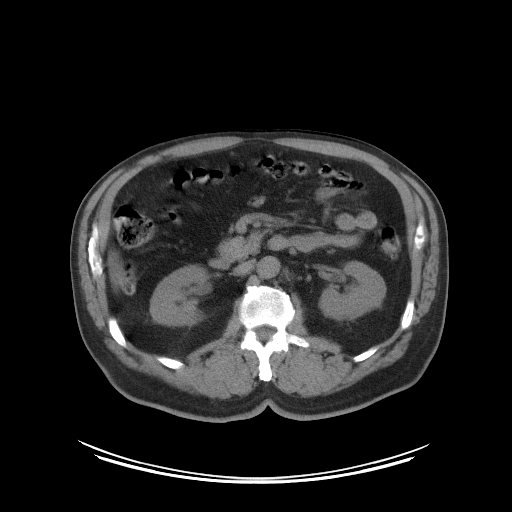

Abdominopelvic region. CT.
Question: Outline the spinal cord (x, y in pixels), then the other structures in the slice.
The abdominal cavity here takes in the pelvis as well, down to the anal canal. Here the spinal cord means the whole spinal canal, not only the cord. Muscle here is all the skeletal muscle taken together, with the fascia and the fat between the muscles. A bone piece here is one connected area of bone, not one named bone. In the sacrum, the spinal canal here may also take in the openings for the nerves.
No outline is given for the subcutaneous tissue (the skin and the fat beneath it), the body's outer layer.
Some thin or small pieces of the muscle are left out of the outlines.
Answer: spinal cord: 262,325 268,325 269,326 271,326 275,328 275,331 274,333 269,338 268,340 264,342 262,342 260,341 257,338 257,335 256,334 256,332 254,330 254,329 256,327 258,326 261,326
abdominal cavity: 258,142 361,162 395,187 410,262 409,292 398,326 383,341 351,355 337,342 308,331 296,292 290,296 278,287 248,284 234,300 218,338 182,359 139,349 126,339 110,310 103,271 116,195 140,171 166,159
bones 1: 248,285 267,285 285,291 295,310 292,320 286,326 286,331 304,338 309,343 308,347 290,343 287,351 274,351 269,357 272,373 269,381 263,381 258,376 259,360 256,353 240,347 245,327 239,319 238,307, around a hole outlined by 262,325 268,325 269,326 271,326 275,328 275,331 274,333 269,338 268,340 264,342 262,342 260,341 257,338 257,335 256,334 256,332 254,330 254,329 256,327 258,326 261,326
bones 2: 94,223 97,225 99,230 98,240 96,243 95,249 96,252 102,259 101,262 101,265 102,266 102,273 101,275 97,278 94,278 92,276 90,266 88,262 88,251 87,250 89,238 92,232 92,225
bones 3: 111,316 113,316 116,319 116,321 117,322 117,323 126,340 126,345 127,346 127,347 123,347 121,345 118,344 116,342 116,341 112,337 112,336 109,331 109,327 108,326 108,320 109,319 109,317 110,317
bones 4: 408,298 411,298 414,302 414,310 413,311 413,316 412,317 412,320 411,321 411,323 410,325 404,330 402,330 400,327 400,321 401,320 401,317 404,311 404,309 406,305 406,302
bones 5: 421,219 423,220 423,223 424,224 424,226 423,227 423,230 425,234 425,240 422,245 422,247 420,249 415,249 414,247 414,235 415,234 415,230 416,229 417,224 418,222
bones 6: 156,356 165,356 166,357 169,357 170,358 177,359 178,360 181,361 184,364 184,365 182,367 181,367 178,369 173,369 172,368 167,367 165,365 164,365 162,363 161,363 159,361 158,361 156,358
bones 7: 373,346 377,346 378,347 378,348 377,349 377,350 373,354 372,354 369,357 368,357 361,361 359,361 358,362 355,362 352,359 352,358 355,355 357,355 358,354 359,354 360,353 365,351 367,349 368,349
torso: 234,128 306,129 354,137 403,162 433,190 448,231 448,297 438,348 414,385 359,410 323,419 290,419 267,406 251,418 214,423 138,404 107,381 83,343 73,304 69,245 82,198 108,169 146,146 185,134
muscle: 253,136 333,142 370,153 414,179 430,197 436,213 439,262 435,296 429,310 413,328 407,349 390,365 328,395 293,397 269,382 273,375 270,357 274,352 287,352 290,344 302,348 310,346 304,337 287,331 296,313 292,293 301,301 307,331 337,343 343,353 353,356 355,363 373,355 379,348 376,345 389,338 399,325 402,331 407,329 415,310 414,300 408,297 411,262 400,194 387,178 364,162 263,141 166,158 143,168 118,190 111,206 101,256 96,249 100,230 95,222 91,225 87,262 94,279 104,274 107,303 113,315 108,317 107,326 115,342 127,348 128,341 139,350 156,355 156,360 167,368 178,370 185,365 180,359 222,335 234,302 240,298 237,312 244,331 239,347 255,353 257,376 262,381 247,395 228,399 193,395 127,367 101,339 86,306 78,267 78,235 84,209 99,186 119,169 178,144 214,137 250,139, around a hole outlined by 421,219 423,220 423,223 424,224 424,226 423,227 423,230 425,234 425,240 422,245 422,247 420,249 415,249 414,247 414,235 415,234 415,230 416,229 417,224 418,222